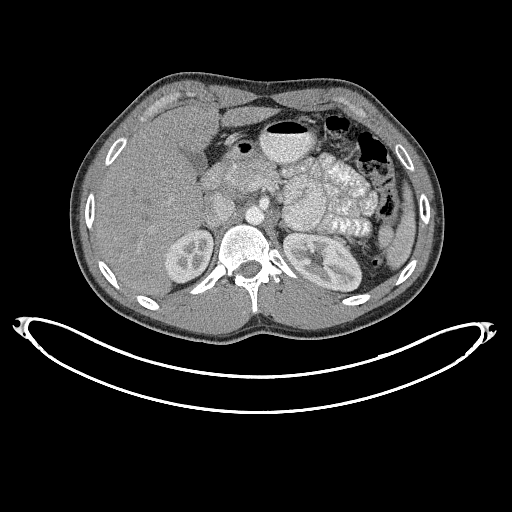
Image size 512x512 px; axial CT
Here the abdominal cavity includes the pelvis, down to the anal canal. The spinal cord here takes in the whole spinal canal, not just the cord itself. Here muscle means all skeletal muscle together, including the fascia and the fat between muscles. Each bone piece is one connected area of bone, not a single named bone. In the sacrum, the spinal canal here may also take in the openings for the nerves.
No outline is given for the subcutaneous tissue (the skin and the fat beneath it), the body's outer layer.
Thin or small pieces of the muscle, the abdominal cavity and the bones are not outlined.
The torso is outlined by 218 345; 256 334; 308 340; 344 335; 401 309; 432 275; 444 235; 443 198; 437 175; 418 141; 361 85; 338 78; 263 81; 201 71; 168 74; 148 85; 103 130; 84 156; 70 193; 69 225; 77 263; 90 287; 111 309; 140 325. The muscle is outlined by 212 335; 239 329; 255 314; 251 312; 247 291; 236 286; 231 278; 224 276; 211 289; 195 295; 188 292; 197 282; 156 300; 160 308; 154 311; 141 306; 135 299; 137 294; 119 282; 121 288; 115 289; 100 272; 97 261; 102 258; 93 225; 92 230; 85 225; 84 205; 90 191; 95 196; 108 167; 103 163; 108 148; 119 136; 129 139; 174 105; 209 102; 221 107; 261 97; 303 110; 338 106; 377 128; 392 147; 401 143; 415 166; 413 172; 407 171; 418 196; 424 192; 430 203; 429 223; 424 225; 420 220; 419 223; 412 256; 417 264; 412 274; 397 286; 394 282; 398 275; 388 279; 368 292; 371 297; 366 302; 356 306; 342 304; 344 296; 301 276; 294 279; 282 273; 277 284; 271 279; 259 287; 257 313; 299 329; 326 328; 351 321; 404 291; 424 269; 433 241; 435 208; 427 171; 405 137; 359 93; 330 87; 255 94; 185 79; 165 84; 146 97; 98 151; 85 175; 79 205; 80 238; 91 273; 121 304; 166 324, around holes outlined by 141 121; 143 121; 148 116; 151 116; 153 115; 158 110; 164 107; 168 103; 170 103; 172 101; 179 98; 181 94; 179 92; 175 92; 172 94; 164 95; 159 99; 155 100; 155 101; 153 103; 152 103; 145 109; 143 114; 139 117 and by 365 117; 366 117; 366 114; 365 112; 361 108; 358 108; 355 105; 352 104; 345 98; 343 97; 339 97; 336 99; 336 100; 338 100; 342 103; 347 105; 350 108; 351 108; 353 111. The abdominal cavity is outlined by 154 299; 201 279; 217 258; 223 233; 238 223; 259 228; 312 283; 344 297; 367 292; 398 274; 411 258; 419 222; 415 188; 377 129; 338 107; 303 111; 268 98; 221 108; 174 106; 128 140; 95 197; 93 224; 103 259; 118 281. The bones appear in 11 outlined pieces: piece 1: 253 313; 257 312; 257 291; 262 282; 267 282; 271 278; 277 283; 282 272; 294 278; 297 274; 279 252; 270 247; 259 229; 247 224; 238 224; 224 233; 214 268; 189 292; 192 294; 203 292; 226 275; 231 277; 236 285; 248 291, around a hole outlined by 246 277; 251 277; 252 276; 253 276; 259 270; 259 269; 260 268; 260 265; 259 264; 259 263; 258 263; 255 261; 249 261; 248 262; 246 262; 245 263; 243 263; 237 269; 236 272; 237 272; 238 273; 239 273; 240 274; 241 274; piece 2: 141 121; 143 121; 148 116; 151 116; 153 115; 158 110; 164 107; 168 103; 170 103; 172 101; 179 98; 181 94; 179 92; 175 92; 172 94; 164 95; 159 99; 155 100; 155 101; 153 103; 152 103; 145 109; 143 114; 139 117; piece 3: 105 165; 109 165; 115 159; 115 158; 119 154; 121 150; 123 149; 123 148; 127 143; 127 140; 128 139; 127 137; 125 136; 121 136; 117 139; 116 139; 113 142; 113 143; 109 148; 107 152; 107 154; 105 157; 105 160; 104 161; piece 4: 410 171; 413 171; 414 170; 414 166; 412 163; 412 161; 411 160; 408 153; 406 151; 405 148; 401 144; 400 144; 399 143; 396 143; 394 145; 394 151; 395 152; 396 155; 398 157; 398 158; 402 163; 402 164; 408 170; 409 170; piece 5: 89 229; 92 229; 92 224; 93 223; 93 219; 94 218; 94 204; 95 203; 94 202; 94 194; 93 192; 90 192; 89 193; 88 195; 88 197; 87 198; 87 200; 86 201; 86 204; 85 205; 85 221; 86 222; 86 225; piece 6: 424 224; 427 224; 428 223; 428 221; 429 220; 429 203; 428 202; 428 200; 427 199; 427 198; 426 197; 426 196; 425 195; 425 194; 424 193; 421 193; 420 194; 420 195; 419 196; 419 213; 420 214; 420 219; 423 222; 423 223; piece 7: 117 289; 119 289; 120 288; 120 287; 118 284; 118 282; 117 281; 117 280; 116 279; 114 274; 103 260; 99 260; 98 261; 98 265; 99 266; 99 268; 100 269; 101 272; 106 278; 106 279; 115 288; 116 288; piece 8: 396 285; 404 281; 411 274; 411 273; 413 271; 415 267; 415 265; 416 264; 416 259; 414 258; 412 258; 406 264; 406 265; 400 272; 399 274; 399 276; 395 282; 395 284; piece 9: 346 305; 356 305; 357 304; 360 304; 361 303; 366 301; 370 297; 370 295; 368 293; 363 293; 362 294; 357 294; 356 295; 353 295; 352 296; 350 296; 349 297; 347 297; 346 298; 344 298; 342 300; 342 303; 343 303; piece 10: 154 310; 155 310; 156 309; 158 309; 159 308; 159 305; 158 304; 158 303; 155 300; 154 300; 147 296; 145 296; 144 295; 141 295; 140 294; 138 294; 137 295; 136 295; 136 299; 141 305; 142 305; 149 309; 153 309; piece 11: 365 117; 366 117; 366 114; 365 112; 361 108; 358 108; 355 105; 352 104; 345 98; 343 97; 339 97; 336 99; 336 100; 338 100; 342 103; 347 105; 350 108; 351 108; 353 111. The spinal cord is outlined by 246 277; 251 277; 252 276; 253 276; 259 270; 259 269; 260 268; 260 265; 259 264; 259 263; 258 263; 255 261; 249 261; 248 262; 246 262; 245 263; 243 263; 237 269; 236 272; 237 272; 238 273; 239 273; 240 274; 241 274.